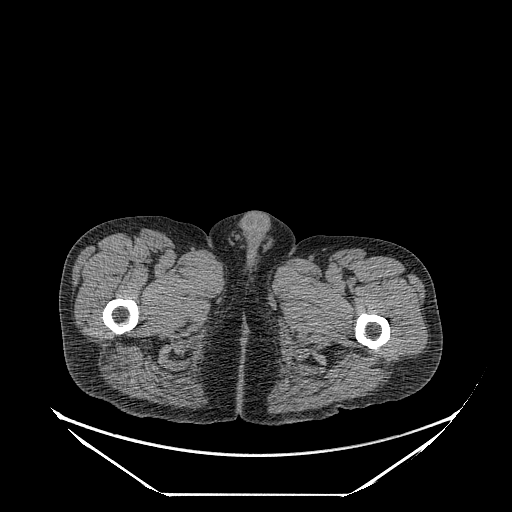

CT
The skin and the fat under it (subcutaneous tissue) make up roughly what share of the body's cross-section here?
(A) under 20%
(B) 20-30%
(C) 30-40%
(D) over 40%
Answer: (C) 30-40%
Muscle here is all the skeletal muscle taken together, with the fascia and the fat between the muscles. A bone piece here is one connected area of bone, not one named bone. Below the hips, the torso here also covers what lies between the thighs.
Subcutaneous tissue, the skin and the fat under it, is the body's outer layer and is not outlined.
The right leg is outlined by 139 215; 166 216; 194 224; 207 232; 219 260; 241 285; 244 328; 238 405; 236 418; 233 421; 209 424; 177 423; 130 415; 103 400; 84 393; 75 384; 67 370; 63 356; 58 311; 58 292; 65 258; 76 240; 93 226; 115 218. The torso is outlined by 247 210; 262 210; 270 213; 278 219; 281 220; 291 229; 295 236; 296 242; 293 244; 293 247; 286 255; 266 276; 259 278; 251 285; 243 288; 242 285; 220 260; 216 253; 210 235; 208 232; 211 227; 219 220; 225 217; 237 214. The bones appear in 2 outlined pieces: piece 1: 120 296; 121 297; 129 297; 133 299; 136 302; 139 310; 139 317; 138 318; 138 322; 137 324; 132 329; 128 331; 126 331; 121 334; 115 334; 107 326; 106 326; 103 322; 103 320; 102 319; 102 311; 105 305; 110 300; piece 2: 364 311; 368 313; 375 313; 378 314; 381 316; 383 316; 388 320; 390 326; 390 337; 389 339; 384 344; 380 346; 377 350; 374 350; 371 348; 369 348; 367 346; 360 343; 355 338; 355 333; 354 332; 355 322; 359 314. The left leg is outlined by 317 234; 379 238; 405 247; 421 260; 432 278; 441 320; 443 348; 439 365; 431 379; 421 389; 399 400; 373 404; 363 408; 340 409; 336 414; 321 420; 280 426; 243 421; 237 417; 245 328; 243 289; 266 277; 294 247; 295 243. The muscle appears in 2 outlined pieces: piece 1: 142 227; 163 232; 183 245; 208 248; 223 263; 226 281; 225 289; 202 358; 202 379; 209 398; 204 407; 192 409; 155 405; 113 391; 102 383; 96 366; 97 362; 84 337; 73 322; 71 308; 72 268; 81 250; 96 238; 114 229; inner edge: 120 296; 121 297; 129 297; 133 299; 136 302; 139 310; 139 317; 138 318; 138 322; 137 324; 132 329; 128 331; 126 331; 121 334; 115 334; 107 326; 106 326; 103 322; 103 320; 102 319; 102 311; 105 305; 110 300; piece 2: 366 246; 387 251; 405 261; 422 281; 426 295; 425 320; 429 333; 429 343; 425 352; 403 362; 394 370; 388 381; 372 394; 334 401; 317 409; 268 413; 266 397; 281 374; 280 354; 267 300; 271 274; 279 264; 294 257; 301 258, around a hole outlined by 364 311; 368 313; 375 313; 378 314; 381 316; 383 316; 388 320; 390 326; 390 337; 389 339; 384 344; 380 346; 377 350; 374 350; 371 348; 369 348; 367 346; 360 343; 355 338; 355 333; 354 332; 355 322; 359 314.